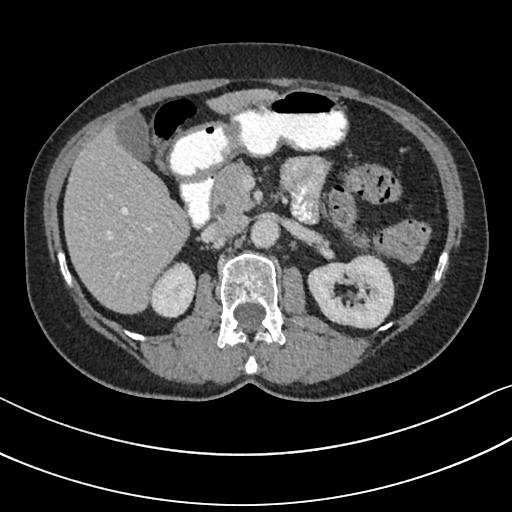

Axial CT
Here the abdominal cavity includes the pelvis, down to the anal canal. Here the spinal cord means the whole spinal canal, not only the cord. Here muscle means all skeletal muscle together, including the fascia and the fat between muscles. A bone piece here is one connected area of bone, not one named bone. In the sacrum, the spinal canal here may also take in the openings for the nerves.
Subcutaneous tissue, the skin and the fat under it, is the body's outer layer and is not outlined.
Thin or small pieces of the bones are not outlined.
Outlined structures:
bones 1: 246 251; 259 253; 269 258; 275 266; 278 306; 287 318; 281 329; 285 341; 280 344; 275 341; 267 343; 260 340; 251 345; 248 343; 237 343; 233 346; 226 344; 221 348; 217 345; 217 339; 222 312; 220 298; 222 270; 229 259, around a hole outlined by 245 303; 255 303; 256 304; 259 304; 264 308; 264 310; 265 311; 265 315; 261 320; 259 327; 258 327; 254 331; 249 331; 248 332; 245 331; 241 327; 239 326; 239 323; 234 316; 234 310; 237 307; 237 306; 240 304; 244 304
bones 2: 60 249; 62 249; 62 250; 65 254; 65 257; 66 258; 67 265; 68 266; 69 271; 72 276; 72 286; 71 287; 70 287; 67 284; 67 283; 65 281; 60 271; 60 268; 59 267; 59 263; 58 262; 58 258; 57 257; 57 253
bones 3: 444 250; 445 250; 448 254; 448 261; 447 262; 447 264; 445 266; 444 270; 441 274; 441 277; 440 279; 437 282; 434 282; 433 281; 433 275; 434 274; 434 272; 435 271; 435 269; 436 268; 436 266; 438 262; 439 256
bones 4: 251 354; 252 354; 255 358; 255 360; 258 365; 258 369; 257 370; 257 371; 253 374; 247 374; 245 372; 245 370; 244 369; 244 368; 245 367; 245 364; 246 363; 246 361; 247 360; 249 355; 250 355
torso: 233 41; 308 45; 377 68; 434 109; 468 148; 486 205; 485 277; 456 336; 415 372; 325 401; 284 399; 251 383; 205 401; 159 399; 94 381; 67 362; 41 330; 26 291; 23 234; 27 179; 41 146; 76 106; 123 72; 183 48
muscle: 238 77; 287 77; 327 81; 346 85; 359 90; 363 94; 387 100; 418 117; 436 133; 445 143; 456 165; 463 194; 464 221; 459 246; 452 254; 449 269; 440 291; 429 304; 425 313; 408 328; 387 341; 374 354; 368 356; 348 371; 328 380; 311 384; 294 382; 288 385; 280 385; 271 382; 260 375; 254 374; 258 371; 259 365; 252 353; 248 355; 244 364; 243 369; 246 374; 240 375; 224 384; 216 384; 211 381; 202 384; 184 384; 162 378; 152 373; 123 348; 85 322; 78 311; 78 307; 65 288; 56 265; 53 263; 49 254; 43 219; 43 198; 46 180; 61 149; 78 130; 94 118; 122 103; 157 88; 190 80, around a hole outlined by 233 82; 307 86; 368 104; 429 153; 447 209; 448 261; 387 329; 353 336; 309 314; 295 265; 282 275; 283 344; 219 347; 222 305; 206 271; 191 313; 144 341; 97 311; 73 276; 71 287; 65 281; 58 201; 80 150; 132 110
spinal cord: 245 303; 255 303; 256 304; 259 304; 264 308; 264 310; 265 311; 265 315; 261 320; 259 327; 258 327; 254 331; 249 331; 248 332; 245 331; 241 327; 239 326; 239 323; 234 316; 234 310; 237 307; 237 306; 240 304; 244 304
abdominal cavity: 233 82; 307 86; 368 104; 427 150; 447 234; 411 309; 365 335; 338 331; 307 312; 292 265; 282 275; 282 311; 274 262; 251 250; 223 264; 221 304; 203 272; 191 313; 167 333; 130 330; 93 307; 58 222; 76 156; 132 110